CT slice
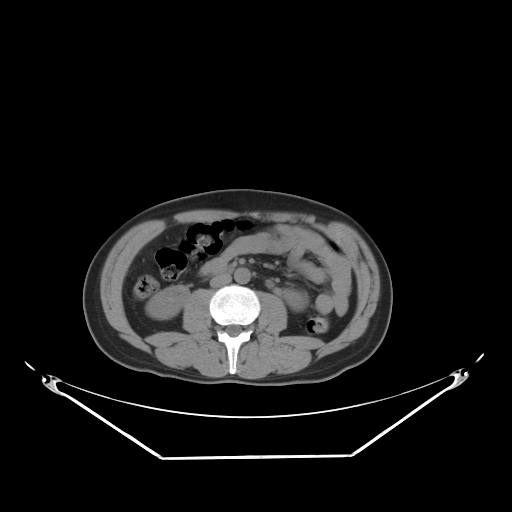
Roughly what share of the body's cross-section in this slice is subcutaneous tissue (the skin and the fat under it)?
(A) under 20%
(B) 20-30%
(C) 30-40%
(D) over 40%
(B) 20-30%
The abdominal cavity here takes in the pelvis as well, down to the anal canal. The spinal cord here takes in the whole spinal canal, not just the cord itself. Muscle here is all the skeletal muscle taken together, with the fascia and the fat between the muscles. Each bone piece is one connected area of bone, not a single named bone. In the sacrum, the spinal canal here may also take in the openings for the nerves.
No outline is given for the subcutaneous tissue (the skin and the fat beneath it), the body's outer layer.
{"torso":[[[225,188],[267,189],[315,199],[347,212],[369,232],[381,250],[390,271],[393,305],[385,337],[366,361],[331,379],[316,383],[281,386],[204,384],[129,369],[111,360],[97,347],[85,322],[82,288],[90,261],[102,243],[127,219],[152,205],[193,193]]],"spinal_cord":[[[229,325],[240,325],[241,326],[242,326],[243,327],[243,330],[241,332],[240,332],[236,336],[231,336],[229,334],[228,334],[224,330],[224,327],[225,327],[226,326],[228,326]]],"bones":[{"outer":[[230,284],[237,284],[252,289],[256,292],[260,303],[259,314],[250,325],[253,330],[250,338],[249,340],[243,342],[239,347],[236,360],[236,371],[233,374],[229,372],[227,349],[217,337],[217,330],[219,326],[209,311],[209,301],[214,291]],"hole":[[229,325],[240,325],[241,326],[242,326],[243,327],[243,330],[241,332],[240,332],[236,336],[231,336],[229,334],[228,334],[224,330],[224,327],[225,327],[226,326],[228,326]]}],"abdominal_cavity":[[[241,216],[299,224],[319,231],[341,248],[356,279],[355,309],[343,329],[328,341],[311,335],[281,334],[288,325],[288,311],[281,298],[230,283],[215,290],[200,287],[192,292],[181,317],[185,331],[138,334],[126,315],[122,290],[139,251],[169,227]]],"muscle":[[[195,209],[303,212],[350,225],[370,248],[380,276],[379,298],[365,332],[346,347],[285,376],[248,379],[235,374],[240,347],[250,340],[254,331],[251,325],[261,311],[257,291],[274,294],[283,302],[287,311],[287,325],[280,332],[281,335],[311,336],[324,342],[332,340],[344,329],[357,304],[357,279],[354,267],[336,242],[319,230],[299,223],[260,221],[252,216],[241,215],[165,228],[135,255],[121,290],[127,320],[141,337],[160,331],[185,332],[182,327],[182,317],[189,297],[200,288],[212,290],[208,311],[218,326],[217,340],[226,349],[229,373],[221,377],[208,377],[184,372],[161,363],[121,338],[107,321],[100,298],[100,276],[111,248],[126,231],[140,222]]]}